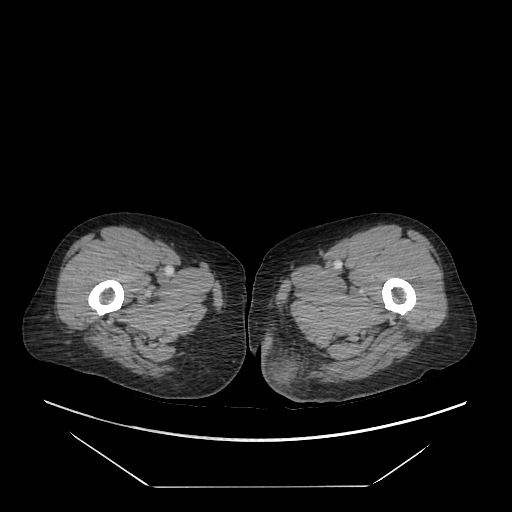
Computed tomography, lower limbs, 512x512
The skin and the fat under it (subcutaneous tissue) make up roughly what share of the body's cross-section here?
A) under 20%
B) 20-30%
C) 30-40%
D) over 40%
Answer: D) over 40%
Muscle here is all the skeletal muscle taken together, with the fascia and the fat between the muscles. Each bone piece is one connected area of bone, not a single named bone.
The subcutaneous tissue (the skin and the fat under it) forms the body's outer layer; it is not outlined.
{"bones":[[[389,277],[400,277],[401,278],[403,278],[405,280],[409,282],[412,285],[416,293],[416,303],[410,310],[407,311],[406,313],[403,315],[399,313],[397,313],[396,312],[388,310],[384,305],[381,291],[382,290],[382,287],[385,281]],[[107,279],[115,279],[117,280],[121,284],[123,288],[124,296],[123,297],[122,305],[120,308],[114,311],[108,312],[100,316],[98,315],[96,311],[92,309],[88,304],[87,298],[88,297],[89,292],[96,284],[97,284],[101,281],[103,281]]],"left_leg":[[[372,212],[409,216],[430,227],[443,240],[472,302],[477,320],[475,341],[457,363],[443,370],[429,370],[409,384],[343,402],[293,401],[266,382],[260,367],[261,350],[258,349],[254,356],[248,347],[246,315],[255,274],[266,252],[291,234],[318,224]]],"muscle":[{"outer":[[378,224],[397,224],[413,229],[423,234],[433,245],[439,256],[443,270],[448,316],[408,356],[386,369],[368,377],[352,381],[339,383],[308,381],[305,373],[311,363],[311,354],[289,311],[294,299],[294,287],[290,273],[300,265],[319,258],[337,241]],"hole":[[389,277],[400,277],[401,278],[403,278],[405,280],[409,282],[412,285],[416,293],[416,303],[410,310],[407,311],[406,313],[403,315],[399,313],[397,313],[396,312],[388,310],[384,305],[381,291],[382,290],[382,287],[385,281]]},{"outer":[[111,225],[126,226],[141,230],[143,233],[155,237],[184,253],[203,259],[214,270],[214,295],[209,311],[197,325],[178,359],[175,371],[164,377],[147,379],[131,374],[110,363],[69,333],[56,318],[54,304],[57,278],[67,250],[77,239],[88,231]],"hole":[[107,279],[115,279],[117,280],[121,284],[123,288],[124,296],[123,297],[122,305],[120,308],[114,311],[108,312],[100,316],[98,315],[96,311],[92,309],[88,304],[87,298],[88,297],[89,292],[96,284],[97,284],[101,281],[103,281]]}],"right_leg":[[[121,211],[151,214],[186,224],[205,238],[222,244],[242,264],[245,272],[246,290],[247,347],[245,357],[231,381],[214,394],[194,399],[157,397],[126,388],[103,377],[40,361],[26,350],[21,333],[23,314],[56,246],[70,230],[81,222],[97,215]]]}